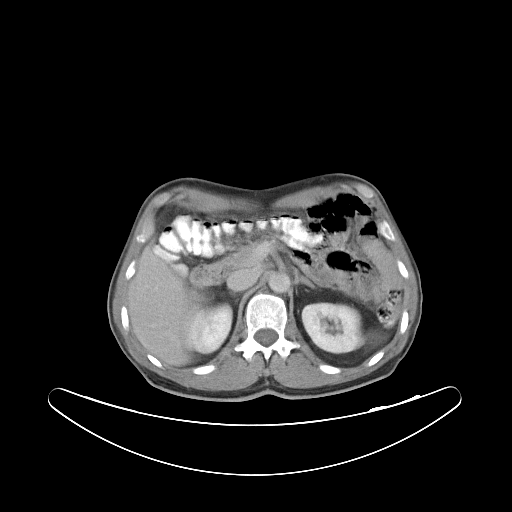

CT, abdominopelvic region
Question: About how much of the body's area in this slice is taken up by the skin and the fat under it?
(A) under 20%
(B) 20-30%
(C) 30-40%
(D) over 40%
Answer: (A) under 20%
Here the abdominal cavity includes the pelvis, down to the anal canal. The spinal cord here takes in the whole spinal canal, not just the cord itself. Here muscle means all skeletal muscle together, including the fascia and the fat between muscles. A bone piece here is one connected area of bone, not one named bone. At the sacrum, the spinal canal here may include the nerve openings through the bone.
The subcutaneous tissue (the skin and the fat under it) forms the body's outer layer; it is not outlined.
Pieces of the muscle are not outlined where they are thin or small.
The muscle is outlined by 338,181 361,183 355,190 338,189 299,207 209,211 175,203 161,205 153,222 147,218 135,236 137,242 143,243 137,258 124,272 129,281 125,305 120,307 121,325 126,331 131,329 147,352 146,357 158,368 165,364 177,369 191,368 194,374 205,375 216,368 213,363 207,363 228,343 240,314 246,336 233,349 249,362 257,352 266,361 273,352 285,360 293,349 301,346 285,336 291,313 305,342 325,363 317,366 323,373 338,374 341,367 357,366 367,359 368,367 374,365 383,357 382,348 398,328 403,334 409,322 408,311 403,308 402,286 402,277 407,279 409,272 400,259 394,259 387,241 394,242 396,236 390,224 376,214 369,199 374,192 400,237 417,287 414,320 404,346 396,355 370,373 341,383 294,388 261,378 243,389 217,391 181,385 146,368 132,356 115,324 112,301 137,224 156,195 186,185 269,204 288,194 with a hole at 164,194 169,194 169,197 167,199 167,200 164,203 163,203 162,204 159,204 158,203 158,200. The spinal cord is outlined by 260,329 271,329 272,330 273,330 277,334 277,338 271,344 270,344 269,345 267,345 266,346 265,345 263,345 261,343 260,343 258,341 257,341 254,337 254,335 256,333 256,332. The bones appear in 13 outlined pieces: piece 1: 257,292 279,296 285,303 287,321 284,336 288,340 296,341 300,344 298,348 293,348 285,359 276,351 273,351 266,360 263,354 257,351 249,361 243,356 241,351 234,349 247,336 244,318 246,305 249,299 with a hole at 260,329 271,329 272,330 273,330 277,334 277,338 271,344 270,344 269,345 267,345 266,346 265,345 263,345 261,343 260,343 258,341 257,341 254,337 254,335 256,333 256,332; piece 2: 147,219 150,219 152,221 152,222 153,223 153,227 151,230 151,232 149,234 149,235 148,236 148,237 146,239 146,240 144,242 139,242 136,240 136,236 141,232 141,230 142,229 142,227 143,226 145,221; piece 3: 382,220 385,220 389,224 389,225 390,226 390,227 395,236 395,240 394,241 393,241 392,240 390,240 389,239 387,239 385,237 384,237 384,236 383,235 382,235 382,234 380,232 380,228 379,227 379,223; piece 4: 206,364 213,364 215,366 215,368 212,371 211,371 210,372 209,372 208,373 206,373 205,374 196,374 195,373 194,373 192,371 192,368 193,368 194,367 196,367 197,366 200,366 201,365 205,365; piece 5: 319,364 329,364 330,365 332,365 333,366 336,366 337,367 340,367 340,368 341,369 341,370 340,371 340,372 339,372 338,373 325,373 324,372 323,372 321,370 320,370 320,369 318,366 319,365; piece 6: 123,305 124,305 127,308 127,315 128,316 128,319 129,320 129,329 128,330 126,330 125,329 124,329 124,328 123,327 123,326 122,325 122,322 121,321 121,307; piece 7: 403,309 405,309 407,311 407,313 408,314 408,322 407,323 407,327 406,328 406,329 405,330 405,331 403,333 400,333 400,332 399,331 399,328 400,327 400,319 401,318 401,316 402,315 402,311 403,310; piece 8: 358,184 363,184 364,185 365,185 366,186 367,186 368,187 369,187 373,191 373,195 372,196 372,197 371,198 367,198 366,197 365,197 357,189 357,188 356,187 356,186; piece 9: 381,349 382,349 383,350 383,355 382,356 382,357 378,361 377,361 374,364 373,364 372,365 371,365 370,366 368,366 367,365 367,363 369,361 369,360 370,359 370,358 375,353 376,353 378,351 379,351; piece 10: 133,260 135,260 135,271 134,272 134,273 133,274 133,275 129,279 126,279 126,278 125,277 125,272 126,271 126,270 127,269 127,268 128,267 128,266 129,265 129,264; piece 11: 398,259 399,260 400,260 404,264 404,265 405,266 405,267 406,268 406,269 408,272 408,277 407,278 404,278 401,275 401,274 400,273 400,272 398,269 398,267 397,266 397,264 396,263 396,261; piece 12: 148,353 149,353 150,354 151,354 154,357 155,357 158,360 159,360 159,361 162,364 162,367 158,367 156,365 155,365 153,363 152,363 150,361 150,360 147,357 147,354; piece 13: 164,194 169,194 169,197 167,199 167,200 164,203 163,203 162,204 159,204 158,203 158,200. The torso is outlined by 331,172 354,174 377,187 402,231 419,270 423,294 421,318 414,340 395,370 368,385 309,399 286,399 267,394 246,401 204,401 174,395 152,386 120,349 107,315 110,279 146,196 160,184 183,176 261,188. The abdominal cavity is outlined by 343,189 357,190 369,200 401,276 399,325 369,358 347,367 326,363 306,342 293,314 288,315 284,299 263,291 248,299 227,343 205,364 172,367 140,344 130,327 126,294 161,206 175,204 209,212 299,208.